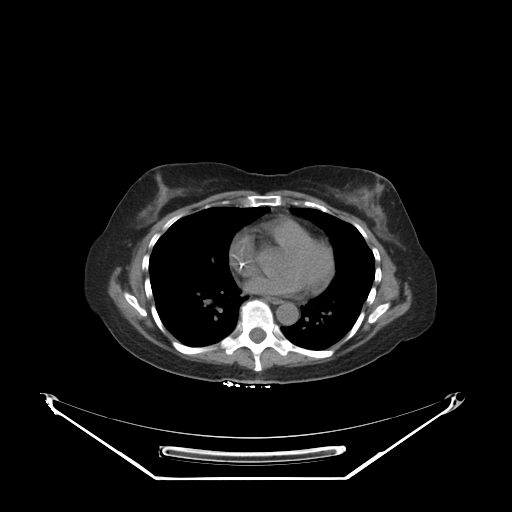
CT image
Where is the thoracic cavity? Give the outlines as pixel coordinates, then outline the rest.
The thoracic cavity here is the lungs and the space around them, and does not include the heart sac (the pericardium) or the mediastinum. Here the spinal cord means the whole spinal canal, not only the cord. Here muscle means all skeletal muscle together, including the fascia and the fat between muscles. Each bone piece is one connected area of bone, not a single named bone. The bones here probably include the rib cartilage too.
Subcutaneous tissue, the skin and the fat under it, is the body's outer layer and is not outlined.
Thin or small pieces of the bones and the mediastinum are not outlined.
Outlines (x, y in pixels):
thoracic cavity 1: 216 206; 244 208; 267 206; 268 210; 239 229; 232 237; 229 245; 229 271; 240 290; 240 295; 247 298; 239 306; 238 319; 234 328; 217 342; 202 346; 191 346; 177 340; 160 318; 148 271; 150 255; 159 238; 176 221; 202 209
thoracic cavity 2: 294 207; 317 209; 351 224; 365 240; 375 261; 373 283; 360 312; 346 334; 329 348; 310 349; 297 345; 289 340; 281 330; 281 327; 291 326; 300 319; 302 307; 323 292; 336 273; 334 250; 329 237; 321 227; 309 219; 291 212
muscle 1: 234 190; 252 190; 259 194; 247 194; 242 197; 240 201; 241 206; 227 205; 230 204; 230 201; 222 199; 208 202; 201 209; 187 215; 180 212; 170 217; 161 227; 163 233; 156 232; 150 238; 147 245; 151 249; 150 254; 145 253; 142 256; 140 265; 142 270; 148 272; 143 286; 145 296; 154 300; 154 304; 150 306; 151 316; 162 333; 164 334; 166 329; 175 338; 171 345; 178 352; 185 355; 194 355; 212 351; 219 347; 227 355; 231 355; 237 349; 245 347; 252 353; 253 370; 239 366; 236 363; 213 364; 188 360; 154 344; 122 316; 107 290; 113 270; 118 266; 126 267; 130 264; 137 244; 163 217; 211 195 with a hole at 124 292; 127 292; 128 293; 129 293; 130 294; 133 295; 136 298; 136 299; 137 300; 138 303; 146 311; 147 314; 145 316; 143 316; 142 315; 141 315; 130 304; 129 304; 128 303; 128 302; 126 300; 126 299; 124 296
muscle 2: 284 189; 321 199; 363 221; 395 265; 394 275; 402 282; 408 283; 412 293; 412 302; 402 315; 366 342; 335 359; 293 367; 274 365; 262 370; 260 356; 266 348; 272 348; 282 356; 286 356; 289 352; 315 359; 332 356; 335 350; 330 347; 342 338; 343 342; 348 341; 359 329; 365 318; 362 307; 365 302; 369 306; 373 303; 377 292; 373 284; 379 283; 382 279; 382 270; 378 265; 376 266; 376 262; 378 263; 381 259; 379 250; 375 246; 369 247; 366 241; 368 235; 359 223; 353 220; 351 223; 343 220; 334 215; 325 205; 313 200; 293 199; 289 202; 291 205; 284 205; 285 201; 280 194; 265 194; 269 191, around a hole outlined by 387 302; 389 302; 390 303; 390 305; 389 306; 389 307; 374 322; 373 322; 372 323; 370 323; 369 322; 368 322; 368 320; 367 319; 368 318; 368 316; 369 315; 369 314; 377 306; 378 306; 380 304; 382 304; 383 303; 386 303
pericardium: 271 213; 285 213; 309 222; 321 230; 327 236; 332 247; 335 273; 331 281; 323 291; 314 297; 308 299; 305 302; 294 303; 270 296; 259 295; 255 293; 247 293; 238 285; 232 275; 232 272; 229 265; 229 250; 234 237; 247 224
torso: 198 161; 223 162; 265 174; 285 173; 307 165; 334 164; 365 168; 386 177; 398 192; 434 265; 438 299; 431 327; 351 372; 284 384; 251 385; 189 378; 161 370; 128 352; 85 302; 83 267; 89 245; 128 188; 146 170; 165 163
bones 1: 253 299; 269 306; 273 320; 293 344; 333 349; 333 354; 282 355; 266 347; 259 356; 261 370; 255 371; 253 353; 245 346; 231 354; 219 346; 194 354; 178 351; 172 345; 175 340; 202 347; 223 339; 235 328; 241 304 with a hole at 254 328; 260 328; 262 330; 263 330; 263 331; 265 333; 265 336; 264 337; 264 338; 261 341; 260 341; 259 342; 255 342; 254 341; 253 341; 250 338; 250 336; 249 335; 249 334; 250 333; 250 332
bones 2: 264 194; 265 195; 280 195; 282 197; 284 201; 284 204; 283 205; 278 205; 277 206; 268 206; 267 205; 261 205; 260 206; 248 206; 247 207; 244 207; 242 206; 242 204; 241 203; 242 198; 245 197; 247 195; 263 195
bones 3: 293 200; 308 200; 309 201; 313 201; 314 202; 316 202; 317 203; 319 203; 320 204; 325 206; 333 214; 330 214; 327 212; 324 212; 317 208; 314 208; 313 207; 307 207; 306 206; 295 206; 294 205; 292 205; 290 203; 290 202
bones 4: 387 302; 389 302; 390 303; 390 305; 389 306; 389 307; 374 322; 373 322; 372 323; 370 323; 369 322; 368 322; 368 320; 367 319; 368 318; 368 316; 369 315; 369 314; 377 306; 378 306; 380 304; 382 304; 383 303; 386 303
bones 5: 124 292; 127 292; 128 293; 129 293; 130 294; 133 295; 136 298; 136 299; 137 300; 138 303; 146 311; 147 314; 145 316; 143 316; 142 315; 141 315; 130 304; 129 304; 128 303; 128 302; 126 300; 126 299; 124 296
bones 6: 361 311; 364 311; 364 318; 363 319; 361 324; 359 326; 359 327; 356 331; 356 332; 348 340; 347 340; 346 341; 343 341; 343 339; 344 338; 344 337; 353 326; 354 323; 356 321; 356 320; 357 319; 359 314; 361 312
bones 7: 152 305; 154 305; 155 306; 155 308; 156 309; 156 311; 159 316; 159 318; 160 319; 160 320; 162 322; 162 323; 165 328; 165 332; 164 333; 163 332; 162 332; 157 326; 157 325; 152 316; 152 314; 151 313; 151 306
bones 8: 180 213; 183 213; 183 216; 182 216; 180 218; 179 218; 177 220; 176 220; 165 231; 163 231; 163 230; 162 229; 162 227; 163 226; 163 225; 170 218; 171 218; 173 216; 174 216; 175 215; 177 215; 178 214; 179 214
bones 9: 147 277; 148 277; 149 278; 149 281; 150 282; 150 285; 151 286; 151 291; 152 292; 152 297; 151 298; 148 298; 146 296; 146 293; 145 292; 145 287; 144 286; 144 282; 145 281; 145 279
bones 10: 373 285; 374 285; 375 286; 375 288; 376 289; 376 292; 375 293; 375 297; 374 298; 372 303; 369 305; 368 304; 367 304; 367 303; 366 302; 366 299; 367 298; 367 297; 368 296; 368 294; 369 293; 369 292; 370 291; 370 290
bones 11: 222 200; 228 200; 229 201; 229 204; 227 204; 226 205; 216 205; 215 206; 211 206; 210 207; 209 207; 208 208; 203 208; 203 207; 206 204; 207 204; 208 203; 213 203; 214 202; 219 202; 220 201; 221 201
bones 12: 353 221; 354 222; 356 222; 358 224; 359 224; 362 227; 362 228; 364 230; 364 231; 366 233; 366 234; 367 235; 367 239; 366 240; 364 238; 364 237; 361 234; 361 233; 352 224; 352 222
bones 13: 156 233; 160 233; 161 234; 161 235; 158 238; 158 239; 155 242; 155 243; 154 244; 154 245; 152 247; 152 248; 149 248; 149 247; 148 246; 148 245; 149 244; 149 242; 150 241; 150 240; 151 239; 151 238; 153 236; 153 235
spinal cord: 254 328; 260 328; 262 330; 263 330; 263 331; 265 333; 265 336; 264 337; 264 338; 261 341; 260 341; 259 342; 255 342; 254 341; 253 341; 250 338; 250 336; 249 335; 249 334; 250 333; 250 332
mediastinum 1: 239 287; 247 294; 255 294; 259 296; 270 297; 294 304; 301 304; 307 301; 307 302; 301 307; 300 317; 295 323; 288 326; 284 325; 280 327; 274 320; 274 315; 270 306; 265 301; 259 298; 248 299; 246 296; 242 296; 241 290
mediastinum 2: 278 206; 294 206; 290 209; 291 213; 298 216; 301 216; 309 220; 321 228; 324 232; 309 221; 307 221; 305 219; 302 219; 299 217; 296 217; 293 215; 291 215; 289 213; 285 212; 271 212; 260 217; 269 210; 269 207; 277 207